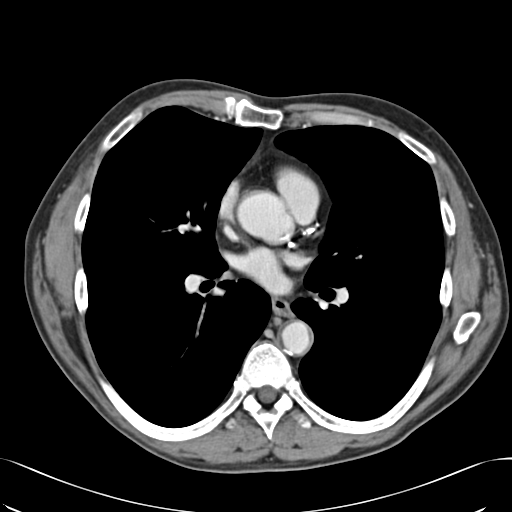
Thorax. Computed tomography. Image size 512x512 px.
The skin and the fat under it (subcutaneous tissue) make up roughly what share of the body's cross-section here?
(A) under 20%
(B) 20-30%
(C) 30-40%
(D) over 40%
(A) under 20%
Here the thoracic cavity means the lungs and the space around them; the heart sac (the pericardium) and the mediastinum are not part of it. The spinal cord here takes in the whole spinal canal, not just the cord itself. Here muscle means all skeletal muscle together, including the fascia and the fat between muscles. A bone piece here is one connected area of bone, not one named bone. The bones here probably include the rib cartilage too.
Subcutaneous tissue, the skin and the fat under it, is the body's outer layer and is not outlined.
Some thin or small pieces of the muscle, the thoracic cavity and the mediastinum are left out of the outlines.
mediastinum 1: [[311,262],[303,278],[304,286],[311,293],[296,299],[291,305],[294,313],[311,328],[314,336],[313,344],[300,360],[295,375],[283,350],[267,341],[254,343],[266,327],[271,314],[270,296],[258,284],[276,294],[287,292],[297,280],[298,274],[303,273]]
mediastinum 2: [[262,127],[270,130],[278,130],[280,128],[288,129],[284,130],[277,135],[275,137],[273,142],[277,148],[295,157],[279,151],[266,150],[263,152],[258,153],[245,167],[241,173],[235,177],[242,169],[246,162],[251,157],[257,148],[263,132]]
mediastinum 3: [[206,111],[209,111],[212,113],[216,113],[222,117],[225,117],[226,118],[229,118],[230,119],[231,119],[233,121],[233,122],[231,124],[228,124],[227,123],[224,123],[223,122],[220,122],[214,118],[210,118],[209,117],[206,116],[204,114],[204,113]]
mediastinum 4: [[228,263],[229,265],[234,270],[235,270],[240,274],[242,274],[244,276],[246,276],[252,279],[257,283],[256,283],[251,279],[249,279],[248,278],[243,278],[242,277],[236,280],[230,277],[230,276],[228,275],[228,272],[227,271],[228,269]]
torso: [[172,78],[215,81],[268,96],[372,95],[412,111],[441,134],[464,165],[496,229],[510,299],[504,335],[465,393],[383,451],[321,467],[257,473],[176,465],[134,443],[92,407],[53,360],[34,325],[23,283],[25,235],[52,180],[98,120],[131,91]]
muscle 1: [[112,127],[101,142],[105,153],[91,190],[81,196],[74,214],[82,264],[74,274],[73,295],[106,378],[97,374],[96,379],[119,414],[142,434],[166,442],[190,440],[224,421],[232,429],[237,422],[233,414],[240,409],[269,441],[287,412],[302,428],[315,423],[346,434],[376,432],[400,419],[430,379],[436,357],[425,361],[453,294],[444,233],[448,237],[456,233],[456,219],[446,197],[438,195],[430,166],[437,163],[432,150],[453,172],[476,238],[494,259],[501,315],[491,338],[449,390],[376,445],[346,447],[314,460],[283,460],[269,453],[253,461],[218,464],[178,458],[150,446],[114,420],[62,359],[47,334],[32,290],[37,236],[45,234],[58,195],[80,163]] with a hole at [[468,311],[478,311],[480,313],[480,315],[481,317],[480,318],[480,320],[478,324],[473,330],[473,331],[469,335],[467,340],[462,343],[457,344],[454,341],[453,339],[453,331],[456,326],[456,324],[460,316],[463,313],[465,312],[467,312]]
muscle 2: [[197,89],[218,89],[236,92],[247,96],[254,103],[245,97],[238,99],[233,95],[226,95],[222,99],[215,100],[209,105],[209,108],[214,112],[206,110],[200,113],[183,105],[171,104],[158,107],[144,117],[143,109],[138,105],[163,93],[176,90]]
muscle 3: [[293,103],[321,103],[356,108],[383,117],[406,132],[399,130],[393,135],[376,127],[375,122],[369,117],[366,118],[358,114],[335,110],[310,111],[306,114],[307,117],[305,121],[298,127],[283,128],[281,126],[286,117],[285,113],[281,109],[276,108]]
spinal cord: [[263,386],[270,386],[272,388],[273,388],[277,392],[277,397],[276,398],[276,399],[274,401],[273,401],[270,403],[263,403],[262,402],[261,402],[259,400],[259,399],[257,396],[257,390],[258,389],[259,389],[260,388],[261,388]]
pericardium: [[266,151],[279,152],[291,156],[308,166],[321,180],[329,199],[325,215],[325,229],[315,246],[315,255],[303,272],[297,274],[296,280],[291,287],[282,293],[270,291],[252,278],[234,269],[222,255],[217,236],[218,213],[222,198],[228,187],[258,154]]
thoracic cavity 1: [[171,105],[228,125],[261,127],[256,148],[221,198],[214,238],[227,263],[227,275],[236,281],[251,280],[270,299],[266,325],[247,351],[227,397],[206,416],[180,427],[143,417],[101,369],[86,327],[88,289],[82,262],[91,192],[105,154],[151,112]]
thoracic cavity 2: [[313,125],[357,125],[387,132],[429,165],[436,184],[444,250],[438,294],[441,320],[407,391],[387,411],[365,420],[346,419],[323,409],[309,398],[295,376],[315,336],[292,305],[312,293],[304,278],[319,254],[333,201],[319,174],[274,142],[286,130]]
bones 1: [[262,342],[283,351],[309,399],[352,421],[387,412],[425,362],[435,361],[417,399],[383,429],[305,428],[287,411],[269,440],[240,408],[232,428],[224,420],[197,437],[166,441],[124,418],[97,375],[146,420],[180,428],[228,397],[248,351]], around a hole outlined by [[263,386],[270,386],[272,388],[273,388],[277,392],[277,397],[276,398],[276,399],[274,401],[273,401],[270,403],[263,403],[262,402],[261,402],[259,400],[259,399],[257,396],[257,390],[258,389],[259,389],[260,388],[261,388]]
bones 2: [[226,96],[233,96],[238,100],[242,98],[245,98],[253,104],[262,108],[279,109],[284,113],[285,117],[278,129],[270,129],[262,126],[236,125],[233,123],[234,121],[231,118],[222,116],[213,111],[210,108],[210,105],[213,102],[218,100],[222,100]]
bones 3: [[313,111],[335,111],[336,112],[340,112],[341,113],[358,115],[366,119],[368,119],[369,118],[371,119],[374,122],[374,126],[375,127],[365,126],[364,125],[358,125],[357,124],[313,124],[310,121],[307,121],[305,122],[308,117],[308,115],[307,114]]
bones 4: [[136,106],[140,106],[141,107],[141,108],[142,109],[142,114],[143,115],[143,117],[113,146],[112,146],[106,152],[103,152],[101,150],[101,145],[102,144],[102,142],[105,138],[105,137],[109,133],[109,132],[116,125],[116,124],[117,124]]
bones 5: [[468,311],[478,311],[480,313],[480,315],[481,317],[480,318],[480,320],[478,324],[473,330],[473,331],[469,335],[467,340],[462,343],[457,344],[454,341],[453,339],[453,331],[456,326],[456,324],[460,316],[463,313],[465,312],[467,312]]
bones 6: [[81,265],[82,265],[83,267],[83,270],[85,274],[85,277],[86,278],[86,288],[87,289],[87,309],[85,312],[84,317],[82,317],[78,311],[78,309],[76,305],[76,302],[75,301],[75,296],[74,295],[74,280],[75,279],[75,274],[77,269]]
bones 7: [[399,131],[402,131],[410,135],[429,148],[433,153],[436,159],[436,163],[434,164],[431,164],[430,165],[426,161],[425,161],[421,157],[420,157],[411,149],[405,145],[399,139],[398,139],[395,136],[395,135],[396,133]]
bones 8: [[439,197],[445,197],[445,198],[447,200],[453,212],[453,214],[454,215],[454,218],[455,219],[455,233],[452,236],[448,236],[446,235],[446,234],[444,232],[444,229],[443,228],[443,223],[442,222],[442,217],[441,216],[441,211],[440,210]]
bones 9: [[445,266],[449,268],[450,272],[451,273],[451,277],[452,278],[452,294],[451,295],[451,298],[449,302],[449,305],[445,310],[444,313],[443,313],[442,312],[442,306],[439,301],[439,294],[440,293],[441,281],[442,280],[443,272],[444,271]]
bones 10: [[90,191],[91,191],[90,192],[90,201],[89,202],[88,212],[87,213],[87,216],[85,220],[85,224],[84,225],[83,232],[82,234],[80,234],[78,233],[74,228],[74,219],[75,218],[75,214],[77,210],[78,204],[82,196],[85,193],[89,192]]